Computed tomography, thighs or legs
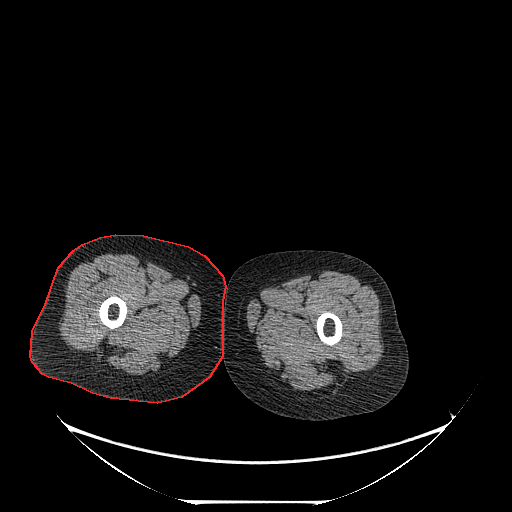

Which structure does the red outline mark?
red: right leg.
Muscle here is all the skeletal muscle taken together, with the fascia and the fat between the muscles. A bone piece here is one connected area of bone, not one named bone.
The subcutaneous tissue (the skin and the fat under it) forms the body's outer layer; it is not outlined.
{"right_leg":[[[115,234],[143,235],[188,246],[204,255],[222,275],[225,286],[222,301],[222,356],[209,377],[181,397],[157,403],[110,398],[92,393],[71,383],[48,377],[42,374],[32,362],[30,356],[32,331],[45,304],[58,267],[73,250],[82,244],[99,237]]],"bones":[[[111,295],[116,295],[123,299],[125,301],[126,305],[127,306],[127,313],[126,314],[126,317],[123,323],[120,326],[116,328],[114,328],[113,329],[109,328],[102,323],[98,316],[98,312],[97,311],[97,309],[99,307],[101,302]],[[325,311],[330,311],[331,312],[333,312],[336,315],[338,316],[338,317],[341,320],[342,322],[342,336],[340,340],[338,342],[337,342],[333,345],[328,345],[327,344],[325,344],[322,341],[321,341],[316,331],[316,319],[320,314],[321,314]]],"left_leg":[[[286,250],[331,250],[347,253],[365,261],[386,282],[394,301],[398,324],[407,345],[409,358],[404,385],[386,405],[371,412],[332,420],[295,419],[278,415],[254,403],[236,387],[229,377],[223,360],[223,301],[229,279],[233,272],[249,259],[262,254]]],"muscle":[{"outer":[[322,270],[349,273],[375,290],[382,309],[380,324],[384,344],[383,357],[374,368],[364,372],[363,375],[350,378],[331,395],[315,399],[295,399],[272,384],[260,371],[253,354],[252,340],[246,320],[246,307],[249,299],[262,287],[277,285],[294,277]],"hole":[[325,311],[330,311],[331,312],[333,312],[336,315],[338,316],[338,317],[341,320],[342,322],[342,336],[340,340],[338,342],[337,342],[333,345],[328,345],[327,344],[325,344],[322,341],[321,341],[316,331],[316,319],[320,314],[321,314]]},{"outer":[[104,253],[131,253],[138,257],[146,258],[170,271],[176,277],[187,280],[197,290],[201,298],[201,317],[193,332],[189,348],[187,347],[157,370],[137,378],[108,378],[92,371],[69,351],[58,335],[58,322],[65,303],[64,288],[70,271],[79,263]],"hole":[[111,295],[116,295],[123,299],[125,301],[126,305],[127,306],[127,313],[126,314],[126,317],[123,323],[120,326],[116,328],[114,328],[113,329],[109,328],[102,323],[98,316],[98,312],[97,311],[97,309],[99,307],[101,302]]}]}